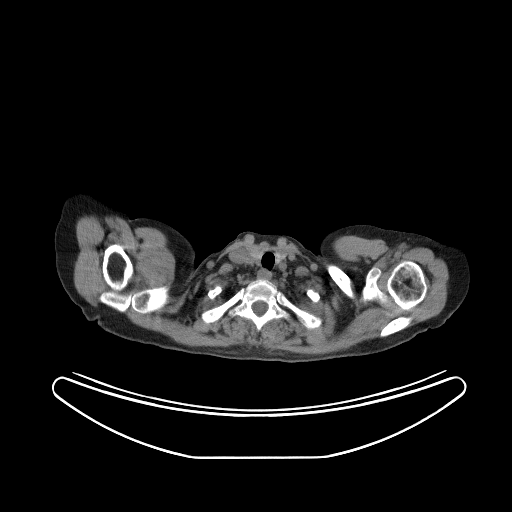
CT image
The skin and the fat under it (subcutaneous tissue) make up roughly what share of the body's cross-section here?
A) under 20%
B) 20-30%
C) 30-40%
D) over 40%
B) 20-30%
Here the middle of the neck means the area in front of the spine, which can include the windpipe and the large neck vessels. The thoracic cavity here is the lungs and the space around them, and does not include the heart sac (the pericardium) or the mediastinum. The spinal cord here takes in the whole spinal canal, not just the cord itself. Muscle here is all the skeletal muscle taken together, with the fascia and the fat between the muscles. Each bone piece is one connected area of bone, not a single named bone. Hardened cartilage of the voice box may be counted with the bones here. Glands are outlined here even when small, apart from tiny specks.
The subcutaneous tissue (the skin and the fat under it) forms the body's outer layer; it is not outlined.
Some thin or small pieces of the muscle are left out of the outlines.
Outlines:
thoracic cavity: [[230,286],[233,287],[233,288],[234,289],[234,291],[233,292],[233,293],[232,294],[231,294],[229,297],[228,297],[225,299],[222,298],[222,297],[221,296],[221,294],[222,293],[222,292],[224,290],[225,290],[228,287],[229,287]]
thyroid glands 1: [[260,248],[263,248],[264,249],[265,249],[264,250],[264,251],[262,253],[262,254],[261,255],[261,256],[259,258],[259,259],[258,260],[256,260],[255,259],[254,259],[252,257],[252,255],[250,252],[252,250],[253,250],[254,249],[259,249]]
thyroid glands 2: [[276,251],[278,251],[279,252],[281,252],[282,253],[283,253],[284,254],[285,254],[285,258],[280,263],[277,263],[276,262],[276,258],[275,257],[275,252]]
right arm: [[76,192],[89,193],[125,212],[132,219],[144,217],[161,221],[181,233],[195,249],[193,264],[180,292],[161,313],[153,327],[133,341],[104,331],[95,321],[88,321],[80,308],[69,298],[57,275],[55,266],[54,232],[64,201],[68,196]]
left arm: [[392,230],[414,232],[418,234],[425,235],[441,242],[455,244],[463,250],[466,255],[469,265],[470,271],[469,289],[460,306],[441,326],[434,329],[428,329],[424,332],[419,333],[412,339],[387,324],[380,317],[378,313],[364,301],[369,272],[373,267]]
torso: [[354,224],[392,229],[368,272],[363,301],[387,325],[410,339],[409,341],[364,356],[294,363],[190,354],[134,341],[152,329],[162,313],[176,299],[187,281],[194,260],[197,265],[239,233],[249,230],[262,234],[285,234],[317,252],[320,241],[326,234]]
muscle: [[85,213],[116,215],[132,228],[163,232],[178,277],[203,269],[247,234],[257,241],[283,237],[312,258],[328,256],[341,235],[379,238],[390,247],[426,247],[448,266],[447,300],[433,317],[408,326],[411,315],[395,316],[379,337],[335,352],[188,346],[122,314],[130,307],[140,314],[160,310],[170,300],[171,284],[132,289],[135,269],[119,243],[103,250],[108,288],[98,297],[102,304],[93,306],[77,292],[75,221]], around holes outlined by [[240,247],[295,255],[285,274],[269,280],[299,308],[319,316],[321,325],[306,328],[292,313],[289,320],[274,318],[259,331],[251,320],[226,313],[204,322],[201,313],[226,300],[220,294],[211,299],[210,289],[231,286],[234,294],[256,279],[238,256]] and by [[403,260],[413,261],[423,270],[427,285],[427,291],[424,298],[409,310],[400,310],[390,297],[387,302],[382,304],[377,300],[363,301],[361,290],[365,283],[367,272],[374,266],[381,271],[377,280],[377,286],[382,291],[386,292],[387,280],[392,270]] and by [[328,263],[333,263],[335,264],[349,276],[351,280],[351,285],[352,286],[352,289],[355,294],[355,297],[354,298],[350,298],[348,297],[341,290],[341,289],[329,275],[326,269],[326,267],[325,266],[326,264]] and by [[310,288],[311,289],[313,289],[315,291],[316,291],[319,294],[319,295],[320,296],[320,298],[319,299],[319,300],[318,301],[317,301],[316,302],[313,302],[307,296],[307,295],[306,294],[306,290],[307,289],[309,289]]
bones 1: [[259,278],[269,280],[299,308],[319,316],[322,319],[321,325],[316,328],[306,328],[292,313],[289,320],[274,318],[265,323],[259,331],[251,320],[241,316],[230,318],[226,313],[216,321],[209,323],[204,322],[200,316],[203,311],[220,305],[240,288]] with a hole at [[258,301],[262,301],[263,302],[264,302],[267,305],[267,308],[266,309],[266,310],[261,315],[258,315],[257,314],[256,314],[254,312],[254,311],[253,310],[253,309],[252,308],[252,305],[255,302],[257,302]]
bones 2: [[114,243],[123,247],[132,263],[134,272],[129,285],[132,290],[138,291],[170,284],[169,300],[160,309],[147,313],[140,313],[133,310],[130,306],[125,312],[122,313],[103,304],[100,301],[100,295],[109,288],[104,280],[102,272],[104,250],[110,244]]
bones 3: [[403,260],[413,261],[423,270],[427,285],[427,291],[424,298],[409,310],[400,310],[390,297],[387,302],[382,304],[377,300],[363,301],[361,290],[365,283],[367,272],[374,266],[381,271],[377,280],[377,286],[382,291],[386,292],[387,280],[392,270]]
bones 4: [[328,263],[333,263],[335,264],[349,276],[351,280],[351,285],[352,286],[352,289],[355,294],[355,297],[354,298],[350,298],[348,297],[341,290],[341,289],[329,275],[326,269],[326,267],[325,266],[326,264]]
bones 5: [[402,315],[403,316],[411,316],[412,317],[412,319],[409,325],[408,325],[405,328],[401,330],[399,330],[396,332],[394,332],[389,335],[387,335],[384,337],[380,337],[380,332],[382,328],[390,320],[391,320],[393,318],[397,317],[398,316],[401,316]]
bones 6: [[216,285],[218,285],[219,286],[220,286],[222,288],[222,291],[221,292],[221,293],[220,294],[219,294],[217,296],[216,296],[213,299],[211,299],[207,295],[207,292],[210,289],[212,289]]
bones 7: [[310,288],[311,289],[313,289],[315,291],[316,291],[319,294],[319,295],[320,296],[320,298],[319,299],[319,300],[318,301],[317,301],[316,302],[313,302],[307,296],[307,295],[306,294],[306,290],[307,289],[309,289]]
middle of the neck: [[240,247],[247,249],[251,257],[256,261],[260,259],[265,250],[274,251],[275,262],[277,264],[280,264],[286,258],[286,256],[290,254],[295,255],[296,260],[285,274],[277,278],[255,278],[248,272],[247,268],[237,254],[237,250]]
spinal cord: [[258,301],[262,301],[263,302],[264,302],[267,305],[267,308],[266,309],[266,310],[261,315],[258,315],[257,314],[256,314],[254,312],[254,311],[253,310],[253,309],[252,308],[252,305],[255,302],[257,302]]